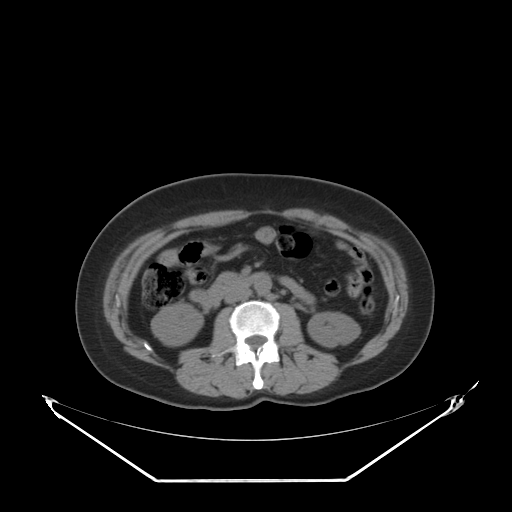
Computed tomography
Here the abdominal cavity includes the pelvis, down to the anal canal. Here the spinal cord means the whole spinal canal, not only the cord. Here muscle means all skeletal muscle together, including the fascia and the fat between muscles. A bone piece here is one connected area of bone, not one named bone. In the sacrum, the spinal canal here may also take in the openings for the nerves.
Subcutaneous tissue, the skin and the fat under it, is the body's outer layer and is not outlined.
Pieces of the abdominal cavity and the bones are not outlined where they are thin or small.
{"spinal_cord":[[[255,335],[258,335],[259,336],[263,336],[266,338],[266,340],[261,345],[260,345],[256,349],[255,349],[254,350],[253,349],[252,349],[251,348],[251,347],[246,342],[246,339],[247,338],[248,338],[251,336],[254,336]]],"torso":[[[221,172],[294,174],[337,182],[374,196],[403,220],[428,257],[435,298],[428,337],[402,373],[373,389],[323,404],[262,401],[249,408],[219,411],[163,403],[122,388],[97,371],[81,345],[75,321],[77,278],[91,243],[118,211],[145,192],[188,177]]],"abdominal_cavity":[[[260,214],[320,228],[347,239],[375,260],[387,291],[383,323],[355,355],[340,361],[307,344],[293,305],[284,301],[249,299],[232,309],[222,308],[214,317],[209,344],[181,348],[174,362],[134,334],[128,324],[130,290],[142,264],[155,251],[184,233]]],"bones":[{"outer":[[249,300],[269,302],[279,313],[279,325],[274,335],[278,345],[279,360],[265,362],[261,366],[260,375],[263,387],[260,389],[253,387],[254,369],[250,362],[236,365],[235,355],[232,352],[219,354],[236,343],[236,337],[229,323],[233,309],[238,304]],"hole":[[255,335],[258,335],[259,336],[263,336],[266,338],[266,340],[261,345],[260,345],[256,349],[255,349],[254,350],[253,349],[252,349],[251,348],[251,347],[246,342],[246,339],[247,338],[248,338],[251,336],[254,336]]}],"muscle":[{"outer":[[288,208],[308,208],[320,214],[332,215],[353,228],[387,240],[400,255],[407,278],[408,307],[400,328],[388,341],[385,349],[368,360],[346,368],[335,381],[321,389],[309,393],[289,393],[286,395],[256,391],[241,399],[224,395],[212,397],[188,391],[176,381],[173,373],[138,359],[123,349],[123,344],[114,335],[104,316],[103,292],[106,279],[116,257],[128,244],[157,228],[185,217],[210,211],[236,209],[282,211]],"holes":[[[260,214],[320,228],[369,253],[387,291],[379,331],[340,361],[307,344],[293,305],[275,301],[279,360],[261,366],[260,389],[250,362],[219,354],[236,343],[229,306],[215,315],[208,345],[183,347],[174,362],[148,350],[128,324],[142,264],[184,233]],[[396,295],[398,295],[399,296],[399,299],[398,300],[398,302],[397,303],[397,307],[396,308],[396,309],[394,311],[394,309],[393,308],[393,304],[394,303],[394,300],[395,299],[395,297],[396,296]]]}]}